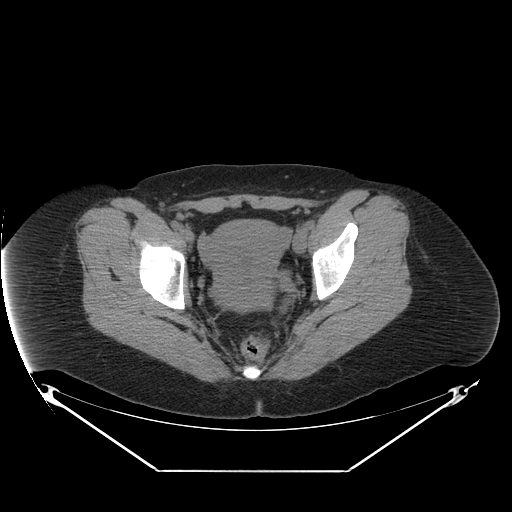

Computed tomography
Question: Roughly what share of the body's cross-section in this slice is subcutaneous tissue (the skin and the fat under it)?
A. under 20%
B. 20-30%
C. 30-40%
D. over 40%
Answer: D. over 40%
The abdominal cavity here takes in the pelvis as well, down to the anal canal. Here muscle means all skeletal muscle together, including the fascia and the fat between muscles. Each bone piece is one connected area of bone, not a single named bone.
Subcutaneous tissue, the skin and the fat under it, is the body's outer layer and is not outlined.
The muscle is outlined by 354,188 388,191 405,205 411,298 381,330 307,377 255,380 266,368 257,364 281,348 306,309 312,274 321,301 350,271 359,233 354,221 310,257 308,238 326,205 275,210 243,201 216,212 165,213 185,241 186,258 170,245 137,242 141,287 168,308 184,310 186,266 195,313 251,380 202,381 85,320 74,224 104,199 159,205 251,193 321,200. The bones appear in 3 outlined pieces: piece 1: 140,240 145,240 152,245 170,246 172,248 179,250 183,253 186,263 183,274 183,295 185,304 185,308 184,309 174,309 168,307 154,299 142,287 139,279 139,273 138,272 138,266 140,260 140,245 138,242; piece 2: 348,222 354,222 357,225 358,228 358,233 354,242 354,257 353,261 351,264 349,271 347,273 341,285 334,292 324,299 320,300 317,297 316,287 312,273 312,265 311,264 312,253 318,248 331,243 341,233; piece 3: 249,364 256,364 259,368 262,368 263,367 265,367 265,368 262,371 262,372 254,380 252,380 251,379 249,379 248,378 245,377 242,374 242,373 241,372 242,371 242,370 246,366 246,365 248,365. The torso is outlined by 211,163 327,166 427,195 461,228 495,281 500,320 489,352 469,366 436,366 344,406 287,418 171,413 126,401 58,370 28,367 12,333 1,277 1,250 20,224 54,195 82,183 112,179 126,188 157,173. The abdominal cavity is outlined by 243,202 254,209 275,211 294,206 326,206 307,238 307,250 311,256 309,301 280,348 262,363 242,364 236,361 198,316 190,294 186,265 188,246 163,216 189,209 206,214 216,213 224,208 237,208.